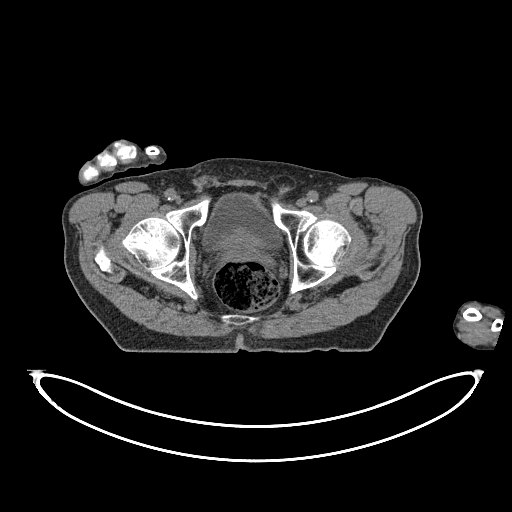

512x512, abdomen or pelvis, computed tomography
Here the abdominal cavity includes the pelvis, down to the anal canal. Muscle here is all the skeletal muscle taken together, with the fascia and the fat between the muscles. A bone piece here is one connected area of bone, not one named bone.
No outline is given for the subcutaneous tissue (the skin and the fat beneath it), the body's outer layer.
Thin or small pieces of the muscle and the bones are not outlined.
The torso is outlined by (219, 157) (276, 160) (349, 177) (377, 177) (403, 185) (417, 196) (423, 212) (418, 240) (419, 275) (380, 341) (370, 351) (330, 349) (278, 353) (239, 349) (237, 353) (128, 352) (115, 344) (86, 308) (64, 267) (61, 213) (66, 201) (72, 195) (110, 179) (186, 167). The bones appear in 8 outlined pieces: piece 1: (207, 196) (210, 197) (210, 201) (205, 221) (203, 224) (196, 226) (192, 230) (189, 243) (189, 274) (198, 294) (197, 299) (194, 300) (176, 285) (161, 280) (146, 270) (145, 266) (122, 246) (121, 240) (138, 221) (147, 217) (163, 217) (168, 211) (194, 205); piece 2: (271, 200) (276, 201) (282, 207) (287, 209) (303, 209) (311, 212) (319, 219) (334, 220) (340, 223) (348, 231) (351, 241) (345, 248) (340, 263) (335, 272) (319, 284) (299, 290) (292, 294) (289, 293) (290, 283) (293, 277) (293, 255) (286, 233) (274, 222) (270, 205); piece 3: (118, 141) (127, 145) (133, 145) (136, 148) (135, 157) (134, 158) (128, 158) (124, 160) (121, 160) (118, 158) (117, 159) (117, 163) (115, 166) (106, 166) (105, 167) (100, 166) (96, 156) (103, 151) (107, 151) (111, 155) (114, 155) (116, 150) (113, 146) (113, 143); piece 4: (102, 245) (104, 247) (105, 249) (105, 251) (107, 255) (110, 258) (111, 260) (111, 262) (113, 266) (113, 272) (112, 273) (108, 273) (107, 272) (104, 272) (102, 271) (99, 268) (98, 265) (95, 262) (94, 260) (94, 255) (97, 249) (100, 246); piece 5: (223, 314) (243, 314) (244, 315) (247, 315) (248, 316) (257, 316) (258, 317) (259, 317) (259, 319) (258, 320) (256, 320) (251, 323) (246, 323) (245, 324) (240, 324) (239, 325) (236, 325) (235, 324) (225, 324) (221, 320) (221, 319) (220, 318) (221, 315) (222, 315); piece 6: (468, 307) (475, 307) (480, 312) (480, 313) (481, 314) (481, 315) (482, 316) (481, 317) (481, 318) (479, 320) (478, 320) (477, 321) (467, 321) (463, 317) (463, 312); piece 7: (86, 164) (90, 164) (91, 165) (92, 165) (93, 166) (94, 166) (98, 170) (98, 172) (99, 173) (98, 174) (98, 175) (97, 176) (95, 176) (91, 180) (89, 180) (88, 181) (87, 180) (85, 180) (84, 179) (84, 178) (83, 177) (83, 176) (82, 175) (82, 168); piece 8: (497, 318) (499, 318) (500, 319) (501, 319) (502, 320) (502, 321) (501, 322) (501, 327) (500, 328) (500, 329) (499, 330) (499, 331) (492, 331) (491, 330) (491, 325) (492, 324) (492, 323) (494, 321) (494, 320) (495, 319) (496, 319). The muscle appears in 4 outlined pieces: piece 1: (229, 178) (267, 181) (295, 200) (315, 184) (366, 182) (402, 191) (415, 207) (416, 220) (406, 235) (392, 288) (366, 315) (299, 337) (261, 338) (244, 330) (187, 337) (154, 331) (128, 318) (81, 270) (78, 236) (68, 219) (74, 202) (128, 181) (192, 192) (196, 185), around holes outlined by (225, 186) (265, 190) (284, 208) (303, 209) (340, 223) (351, 237) (329, 277) (288, 293) (275, 311) (239, 325) (225, 324) (222, 313) (202, 305) (196, 282) (197, 226) (191, 232) (188, 258) (195, 300) (155, 277) (121, 244) (138, 221) (194, 205) (209, 195) (210, 188) and by (102, 245) (104, 247) (105, 249) (105, 251) (107, 255) (110, 258) (111, 260) (111, 262) (113, 266) (113, 272) (112, 273) (108, 273) (107, 272) (104, 272) (102, 271) (99, 268) (98, 265) (95, 262) (94, 260) (94, 255) (97, 249) (100, 246); piece 2: (470, 303) (476, 303) (482, 306) (490, 306) (496, 308) (504, 315) (502, 319) (499, 317) (495, 318) (490, 325) (490, 330) (492, 332) (498, 332) (499, 333) (495, 345) (491, 346) (473, 345) (468, 343) (460, 335) (459, 330) (457, 327) (457, 323) (462, 309) (466, 305) with a hole at (468, 307) (475, 307) (480, 312) (480, 313) (481, 314) (481, 315) (482, 316) (481, 317) (481, 318) (479, 320) (478, 320) (477, 321) (467, 321) (463, 317) (463, 312); piece 3: (137, 150) (140, 152) (143, 151) (144, 153) (148, 156) (157, 156) (158, 155) (157, 158) (152, 159) (148, 157) (146, 158) (141, 157) (134, 162) (130, 162) (129, 163) (120, 163) (117, 164) (118, 163) (118, 159) (121, 161) (124, 161) (128, 159) (134, 159) (137, 155); piece 4: (96, 160) (97, 161) (97, 163) (98, 165) (102, 168) (105, 168) (106, 167) (114, 167) (114, 168) (108, 171) (104, 171) (100, 174) (99, 174) (100, 173) (99, 172) (99, 170) (94, 165) (92, 164) (93, 164) (96, 161). The left arm is outlined by (472, 299) (496, 304) (501, 307) (505, 312) (501, 322) (501, 327) (498, 332) (499, 335) (497, 338) (497, 341) (493, 349) (491, 351) (478, 351) (460, 341) (460, 340) (456, 337) (453, 332) (452, 329) (452, 323) (459, 306) (463, 302). The right arm is outlined by (119, 139) (127, 139) (133, 141) (143, 149) (149, 146) (159, 145) (166, 152) (166, 160) (161, 164) (150, 164) (145, 167) (133, 167) (124, 171) (116, 172) (109, 179) (105, 178) (95, 184) (88, 186) (80, 184) (78, 181) (78, 172) (85, 162) (102, 152) (106, 145). The abdominal cavity is outlined by (225, 186) (257, 187) (267, 191) (271, 196) (269, 205) (273, 222) (285, 233) (289, 246) (288, 293) (283, 303) (275, 311) (256, 315) (221, 313) (202, 305) (201, 290) (196, 282) (198, 260) (194, 241) (197, 237) (198, 227) (204, 224) (208, 215) (211, 201) (209, 189).